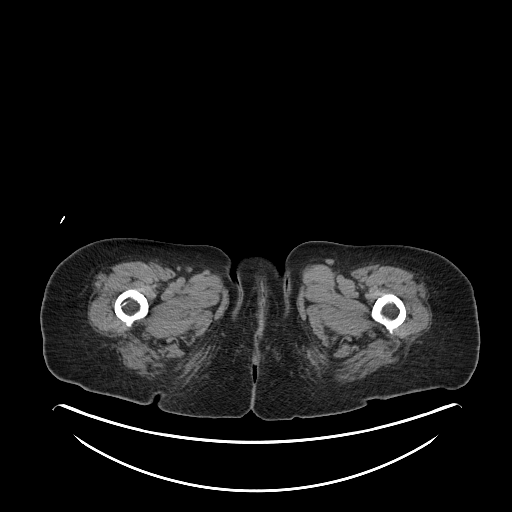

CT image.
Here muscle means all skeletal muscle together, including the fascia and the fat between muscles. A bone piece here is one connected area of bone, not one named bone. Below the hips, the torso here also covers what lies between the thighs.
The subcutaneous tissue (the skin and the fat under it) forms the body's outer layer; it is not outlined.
The right leg is outlined by (112, 237) (207, 244) (229, 256) (233, 264) (231, 275) (234, 279) (235, 273) (240, 289) (238, 329) (251, 385) (250, 411) (237, 418) (170, 413) (158, 407) (156, 397) (149, 404) (138, 404) (85, 390) (56, 378) (48, 370) (40, 328) (46, 283) (55, 267) (74, 250). The left leg is outlined by (310, 240) (353, 245) (410, 245) (434, 251) (452, 261) (471, 282) (477, 306) (479, 357) (468, 382) (452, 390) (439, 387) (387, 399) (372, 399) (360, 408) (331, 415) (283, 420) (264, 420) (256, 416) (251, 411) (255, 380) (276, 347) (286, 312) (283, 263) (294, 247). The muscle appears in 2 outlined pieces: piece 1: (314, 262) (330, 263) (343, 268) (359, 264) (401, 264) (425, 279) (429, 286) (427, 305) (432, 313) (432, 322) (430, 328) (411, 345) (401, 366) (380, 368) (373, 375) (352, 382) (342, 384) (334, 380) (322, 364) (298, 320) (296, 299) (302, 283) (301, 273) (305, 265) with a hole at (384, 293) (392, 293) (396, 295) (399, 298) (400, 298) (402, 300) (404, 304) (405, 310) (406, 311) (405, 319) (401, 324) (400, 324) (393, 330) (392, 333) (390, 333) (382, 324) (374, 320) (371, 316) (371, 309) (372, 308) (373, 304) (375, 302) (376, 299); piece 2: (139, 256) (157, 260) (182, 274) (193, 274) (204, 270) (219, 274) (229, 296) (229, 303) (223, 316) (199, 350) (161, 377) (154, 379) (141, 377) (126, 368) (116, 358) (109, 339) (93, 330) (87, 318) (88, 302) (93, 291) (95, 272) (104, 263) (123, 257), around a hole outlined by (131, 288) (137, 289) (145, 296) (145, 297) (147, 299) (149, 307) (148, 308) (148, 312) (147, 314) (143, 318) (141, 318) (138, 320) (134, 321) (130, 326) (128, 326) (126, 325) (126, 324) (116, 315) (114, 311) (114, 303) (117, 296) (120, 293) (127, 289) (130, 289). The torso is outlined by (251, 254) (268, 257) (276, 264) (279, 269) (281, 269) (282, 266) (281, 282) (285, 298) (285, 312) (281, 324) (279, 338) (268, 359) (257, 373) (253, 384) (252, 394) (252, 385) (239, 329) (239, 302) (241, 297) (241, 289) (235, 272) (235, 264) (239, 259) (243, 256). The bones appear in 2 outlined pieces: piece 1: (384, 293) (392, 293) (396, 295) (399, 298) (400, 298) (402, 300) (404, 304) (405, 310) (406, 311) (405, 319) (401, 324) (400, 324) (393, 330) (392, 333) (390, 333) (382, 324) (374, 320) (371, 316) (371, 309) (372, 308) (373, 304) (375, 302) (376, 299); piece 2: (131, 288) (137, 289) (145, 296) (145, 297) (147, 299) (149, 307) (148, 308) (148, 312) (147, 314) (143, 318) (141, 318) (138, 320) (134, 321) (130, 326) (128, 326) (126, 325) (126, 324) (116, 315) (114, 311) (114, 303) (117, 296) (120, 293) (127, 289) (130, 289).